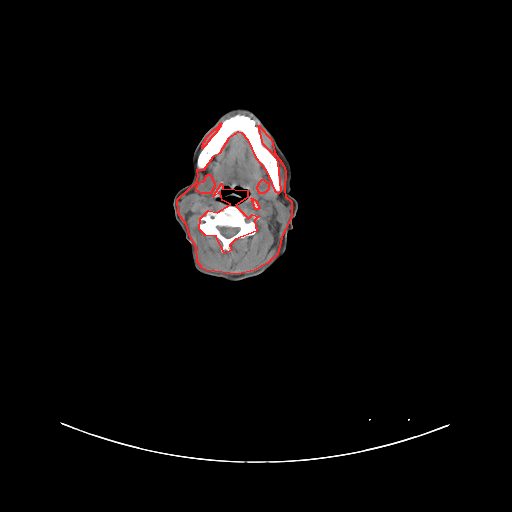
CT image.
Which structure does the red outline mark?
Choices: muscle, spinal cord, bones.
red: muscle.
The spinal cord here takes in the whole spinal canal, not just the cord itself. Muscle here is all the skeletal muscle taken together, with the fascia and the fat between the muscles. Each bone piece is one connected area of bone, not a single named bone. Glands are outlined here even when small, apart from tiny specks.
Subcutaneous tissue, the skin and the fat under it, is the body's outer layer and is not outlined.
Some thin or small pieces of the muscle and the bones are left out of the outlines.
{"muscle":[{"outer":[[258,125],[271,139],[274,152],[283,165],[285,171],[284,190],[285,196],[291,201],[291,216],[281,237],[277,254],[267,263],[254,270],[237,274],[206,270],[202,268],[197,261],[196,247],[190,237],[186,224],[178,213],[177,199],[196,182],[198,176],[197,169],[204,169],[213,156],[220,152],[229,137],[238,131],[241,132],[247,139],[255,157],[265,169],[274,190],[278,193],[281,190],[278,162],[275,156],[263,144]],"holes":[[[221,183],[222,188],[247,190],[247,197],[235,205],[248,218],[252,214],[258,216],[254,220],[256,231],[235,239],[229,245],[231,250],[224,253],[216,236],[205,235],[199,229],[200,218],[208,210],[217,212],[230,204],[222,200],[220,192],[213,196]],[[208,174],[209,174],[211,176],[211,177],[213,180],[213,182],[214,183],[214,186],[213,187],[213,188],[210,193],[201,193],[196,190],[196,187],[197,186],[198,183],[201,181],[203,181],[205,179],[205,177],[206,176],[206,175],[207,175]],[[262,179],[263,179],[266,182],[267,182],[268,183],[268,189],[265,192],[264,192],[263,193],[259,193],[259,192],[258,191],[258,190],[257,189],[257,186],[258,185],[258,184],[259,183],[259,182]],[[251,198],[252,198],[253,199],[254,199],[256,201],[256,202],[257,203],[257,204],[258,205],[258,206],[259,207],[259,208],[258,209],[255,209],[255,208],[254,207],[254,205],[253,204],[253,202],[252,201],[252,199]]]},[[220,123],[221,123],[220,124],[220,126],[218,128],[218,129],[216,131],[216,132],[209,139],[209,140],[206,143],[206,144],[202,148],[202,145],[203,144],[203,142],[205,140],[205,139],[206,138],[206,137],[214,129],[215,129],[219,125],[219,124]]],"submandibular_glands":[[[208,174],[209,174],[211,176],[211,177],[213,180],[213,182],[214,183],[214,186],[213,187],[213,188],[210,193],[201,193],[196,190],[196,187],[197,186],[198,183],[201,181],[203,181],[205,179],[205,177],[206,176],[206,175],[207,175]],[[262,179],[263,179],[266,182],[267,182],[268,183],[268,189],[265,192],[264,192],[263,193],[259,193],[259,192],[258,191],[258,190],[257,189],[257,186],[258,185],[258,184],[259,183],[259,182]]],"spinal_cord":[[[218,227],[232,227],[233,228],[238,228],[239,229],[239,230],[234,235],[233,235],[232,236],[231,236],[230,237],[226,237],[225,236],[224,236],[220,232],[220,231],[219,230],[219,229],[218,228]]],"head_and_neck":[{"outer":[[234,107],[247,108],[253,112],[275,138],[291,166],[291,194],[298,202],[298,209],[293,228],[287,236],[286,249],[281,257],[256,276],[227,281],[202,274],[194,268],[190,244],[174,216],[173,199],[177,191],[192,179],[191,158],[200,139],[220,116]],"hole":[[225,187],[230,188],[231,189],[233,188],[241,188],[242,189],[247,190],[248,192],[247,197],[246,197],[245,199],[243,200],[243,201],[239,203],[236,203],[235,204],[230,204],[229,203],[227,203],[222,200],[222,195],[220,192],[222,188],[224,188]]}],"bones":[[[236,114],[246,114],[256,122],[262,144],[276,159],[280,184],[280,190],[278,192],[275,190],[266,169],[256,157],[248,139],[241,131],[238,130],[233,132],[228,137],[219,152],[212,156],[204,168],[197,168],[197,158],[201,150],[217,132],[222,122]],{"outer":[[225,205],[235,205],[248,218],[252,214],[257,215],[258,218],[254,220],[256,231],[250,236],[235,239],[229,245],[231,250],[225,250],[223,253],[220,251],[222,242],[214,235],[203,234],[199,229],[199,224],[202,222],[200,218],[208,210],[217,212]],"hole":[[218,227],[232,227],[233,228],[238,228],[239,229],[239,230],[234,235],[233,235],[232,236],[231,236],[230,237],[226,237],[225,236],[224,236],[220,232],[220,231],[219,230],[219,229],[218,228]]}]}